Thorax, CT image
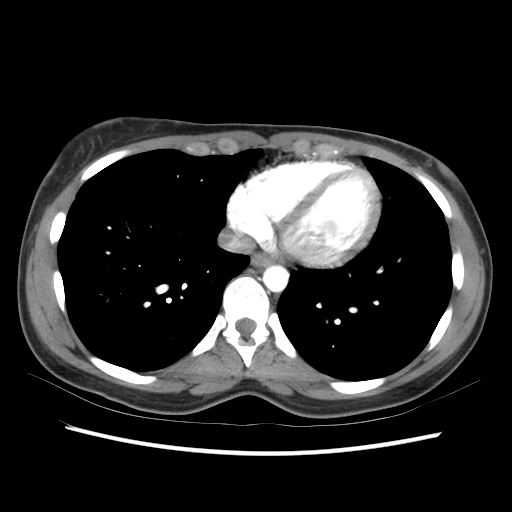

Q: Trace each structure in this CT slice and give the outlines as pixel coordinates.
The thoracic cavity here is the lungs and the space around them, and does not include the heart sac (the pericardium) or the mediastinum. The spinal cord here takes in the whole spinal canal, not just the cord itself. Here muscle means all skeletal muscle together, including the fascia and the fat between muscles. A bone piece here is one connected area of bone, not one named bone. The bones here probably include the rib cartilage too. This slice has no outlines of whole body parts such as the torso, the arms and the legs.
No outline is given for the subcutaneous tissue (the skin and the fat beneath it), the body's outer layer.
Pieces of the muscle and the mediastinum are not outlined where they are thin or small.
A: The muscle is outlined by 231 130; 247 130; 265 138; 279 132; 307 131; 359 140; 399 154; 439 181; 471 228; 485 272; 478 317; 458 350; 437 367; 391 389; 328 400; 281 396; 252 378; 211 395; 148 392; 86 372; 45 348; 27 308; 28 256; 46 206; 93 160; 82 170; 81 185; 68 211; 60 209; 54 214; 48 239; 57 245; 58 267; 52 272; 52 287; 58 307; 92 354; 88 360; 104 373; 131 384; 149 385; 157 376; 138 372; 165 368; 188 354; 198 356; 211 350; 220 336; 237 351; 247 369; 257 348; 271 339; 288 357; 300 356; 336 379; 328 382; 335 391; 359 394; 379 387; 422 350; 428 352; 436 346; 452 319; 452 289; 459 291; 464 282; 463 254; 458 246; 451 249; 446 222; 453 211; 436 183; 415 168; 409 169; 411 175; 379 158; 342 154; 341 146; 328 142; 312 145; 305 139; 293 142; 295 153; 261 147; 240 150; 230 137; 219 138; 214 147; 197 141; 186 144; 183 150; 156 148; 134 153; 124 147; 106 153; 150 138. The mediastinum appears in 2 outlined pieces: piece 1: 225 225; 225 227; 239 239; 263 254; 273 259; 279 259; 305 268; 299 268; 290 273; 287 285; 278 299; 275 310; 271 308; 271 303; 266 290; 255 278; 249 275; 238 275; 248 265; 250 257; 247 254; 227 251; 217 245; 217 236; piece 2: 263 149; 273 149; 274 150; 279 150; 284 152; 291 152; 297 156; 303 157; 298 157; 297 156; 294 157; 291 157; 290 156; 287 157; 277 157; 262 166; 258 167; 252 171; 250 171; 251 168; 258 161; 263 154; 264 152. The pericardium is outlined by 288 157; 346 158; 359 162; 365 166; 375 180; 382 196; 381 212; 377 227; 369 243; 345 264; 335 268; 311 269; 302 267; 295 263; 290 263; 279 258; 273 258; 243 241; 226 227; 227 202; 239 182; 243 180; 250 172; 277 158. The bones appear in 11 outlined pieces: piece 1: 237 276; 252 277; 263 287; 267 294; 270 308; 276 312; 283 331; 299 357; 292 358; 288 356; 274 345; 271 338; 256 348; 252 355; 251 363; 247 368; 238 351; 220 335; 211 349; 195 356; 189 355; 222 310; 224 289, around a hole outlined by 244 318; 247 318; 248 319; 250 319; 251 320; 252 320; 255 323; 255 328; 253 330; 253 331; 249 335; 249 338; 244 338; 243 337; 242 337; 241 334; 239 332; 239 331; 236 328; 236 322; 237 321; 238 321; 241 319; 243 319; piece 2: 91 355; 94 355; 114 365; 123 368; 126 368; 129 370; 137 372; 140 374; 144 374; 145 375; 154 375; 156 376; 157 378; 155 381; 149 384; 135 384; 134 383; 131 383; 125 381; 122 379; 112 376; 95 366; 88 358; 88 357; piece 3: 221 138; 230 138; 237 142; 239 146; 239 150; 237 152; 232 154; 226 154; 217 151; 215 153; 210 153; 205 155; 196 155; 184 151; 184 148; 186 145; 188 144; 191 145; 197 142; 205 142; 209 144; 212 148; 214 148; 216 142; piece 4: 391 374; 391 376; 390 376; 379 386; 363 391; 362 392; 360 392; 359 393; 341 393; 335 390; 331 387; 329 384; 329 382; 330 381; 333 381; 334 380; 353 381; 355 382; 356 381; 368 380; 369 379; 377 378; 382 376; 387 376; piece 5: 298 140; 305 140; 306 141; 308 141; 312 146; 319 143; 328 143; 329 144; 332 144; 338 147; 341 147; 343 149; 343 150; 341 154; 339 155; 333 155; 332 156; 302 156; 301 155; 297 154; 293 150; 293 144; 294 142; piece 6: 412 168; 417 170; 419 172; 421 172; 427 175; 440 189; 440 190; 447 199; 450 205; 450 207; 452 211; 452 217; 451 218; 446 220; 445 219; 445 217; 441 209; 433 197; 430 194; 428 190; 415 177; 414 177; 410 171; 410 169; piece 7: 124 148; 132 149; 133 150; 133 153; 132 154; 125 156; 111 163; 109 165; 106 166; 104 168; 97 172; 94 175; 90 177; 82 184; 80 183; 80 178; 82 175; 83 170; 95 160; 110 152; 116 151; 117 150; 123 149; piece 8: 449 302; 451 302; 452 306; 453 307; 453 310; 452 311; 452 314; 451 315; 451 319; 448 326; 446 328; 440 340; 432 349; 428 351; 426 350; 423 350; 423 349; 428 343; 428 341; 432 333; 434 331; 440 318; 442 316; piece 9: 457 247; 458 247; 460 249; 460 250; 461 251; 461 253; 462 254; 462 258; 463 259; 463 282; 462 283; 461 288; 459 290; 456 290; 454 288; 453 288; 453 286; 452 285; 452 269; 451 268; 451 267; 452 266; 452 250; 455 249; piece 10: 60 210; 64 210; 66 211; 67 213; 66 214; 66 217; 65 218; 65 222; 63 226; 63 229; 62 230; 61 235; 59 238; 59 240; 57 244; 53 245; 51 244; 49 239; 49 232; 50 231; 51 223; 53 220; 53 218; 55 214; piece 11: 57 268; 59 269; 59 271; 61 275; 61 278; 62 279; 62 283; 63 284; 63 290; 64 291; 64 295; 65 296; 65 307; 67 311; 67 315; 66 316; 62 312; 59 307; 59 305; 55 295; 54 288; 53 287; 53 272; 54 270. The spinal cord is outlined by 244 318; 247 318; 248 319; 250 319; 251 320; 252 320; 255 323; 255 328; 253 330; 253 331; 249 335; 249 338; 244 338; 243 337; 242 337; 241 334; 239 332; 239 331; 236 328; 236 322; 237 321; 238 321; 241 319; 243 319. The thoracic cavity appears in 2 outlined pieces: piece 1: 251 148; 263 152; 229 195; 225 224; 215 241; 227 252; 247 255; 249 261; 224 287; 221 310; 209 329; 187 354; 156 370; 135 371; 93 354; 68 315; 58 264; 58 243; 81 186; 111 164; 142 152; 176 149; 205 156; 232 155; piece 2: 364 156; 379 159; 403 170; 415 178; 432 197; 447 226; 451 250; 452 288; 447 305; 427 343; 413 359; 393 373; 354 381; 337 379; 308 363; 299 354; 284 331; 276 308; 293 271; 341 267; 370 243; 380 220; 383 196; 364 162.